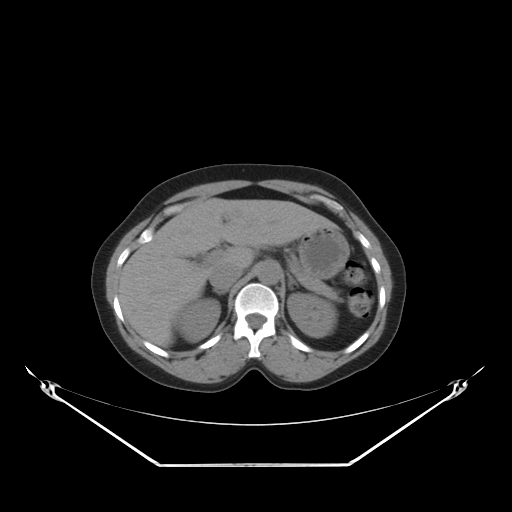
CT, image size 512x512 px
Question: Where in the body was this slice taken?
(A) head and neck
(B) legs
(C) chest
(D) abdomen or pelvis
Answer: (D) abdomen or pelvis
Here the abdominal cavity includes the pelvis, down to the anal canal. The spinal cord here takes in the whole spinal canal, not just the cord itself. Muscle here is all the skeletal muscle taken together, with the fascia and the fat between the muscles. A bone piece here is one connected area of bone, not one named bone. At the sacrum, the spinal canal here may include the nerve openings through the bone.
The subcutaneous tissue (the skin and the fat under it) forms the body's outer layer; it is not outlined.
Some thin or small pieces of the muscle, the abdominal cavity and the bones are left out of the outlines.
Outlined structures:
torso: [[246,162],[303,165],[339,177],[358,195],[397,246],[406,271],[402,316],[388,348],[367,368],[315,390],[279,388],[253,369],[225,390],[199,393],[166,387],[145,377],[121,357],[104,333],[90,287],[93,258],[104,239],[136,203],[160,182],[203,166]]
spinal cord: [[254,313],[257,313],[258,314],[263,316],[265,318],[265,320],[264,321],[264,322],[261,325],[261,326],[256,329],[254,329],[253,328],[252,328],[249,325],[249,324],[246,319],[246,317],[247,316],[247,315],[248,315],[249,314],[253,314]]
abdominal cavity: [[252,185],[321,206],[344,221],[362,246],[378,286],[377,309],[368,328],[342,349],[313,348],[286,323],[276,293],[249,282],[235,295],[229,321],[196,347],[167,351],[140,337],[126,321],[118,296],[120,271],[131,251],[149,242],[154,229],[188,203]]
muscle: [[268,179],[302,182],[328,191],[338,201],[319,193],[311,194],[312,199],[335,212],[343,211],[340,203],[343,204],[376,236],[392,279],[384,329],[378,340],[363,353],[312,381],[283,380],[253,358],[261,356],[259,345],[264,338],[276,338],[275,318],[279,311],[295,335],[286,333],[294,348],[306,353],[314,349],[353,352],[368,338],[368,329],[378,308],[381,310],[386,303],[386,290],[378,285],[379,262],[374,256],[369,259],[364,251],[372,246],[363,233],[358,230],[353,233],[343,219],[321,205],[275,189],[247,185],[190,201],[177,211],[181,205],[178,203],[166,206],[163,212],[171,213],[154,228],[146,227],[136,239],[139,245],[132,250],[125,247],[116,259],[116,266],[121,267],[117,294],[112,298],[113,311],[154,354],[169,358],[170,351],[212,347],[220,340],[220,332],[235,313],[232,338],[245,337],[249,343],[247,356],[251,358],[245,365],[215,383],[192,382],[174,376],[134,351],[123,339],[106,298],[105,280],[110,258],[122,237],[156,213],[161,203],[174,194],[210,182]]
bones 1: [[249,283],[257,283],[271,289],[277,297],[279,307],[274,318],[276,329],[275,338],[272,336],[264,337],[258,345],[260,356],[252,358],[248,356],[250,350],[248,339],[245,336],[238,339],[233,338],[233,326],[237,317],[234,311],[234,300],[240,289]] with a hole at [[254,313],[257,313],[258,314],[263,316],[265,318],[265,320],[264,321],[264,322],[261,325],[261,326],[256,329],[254,329],[253,328],[252,328],[249,325],[249,324],[246,319],[246,317],[247,316],[247,315],[248,315],[249,314],[253,314]]
bones 2: [[313,194],[319,194],[320,195],[322,195],[325,197],[327,197],[332,200],[334,200],[335,201],[338,202],[343,207],[343,210],[342,210],[341,211],[335,211],[333,209],[331,209],[329,207],[326,206],[323,203],[322,203],[321,202],[312,198],[310,196]]
bones 3: [[367,330],[368,330],[369,331],[369,334],[368,335],[367,338],[357,348],[356,348],[353,351],[352,351],[349,353],[344,353],[343,352],[343,349],[344,348],[345,348],[347,346],[348,346],[350,344],[351,344],[356,339],[357,339],[365,331],[366,331]]
bones 4: [[287,333],[289,333],[293,335],[295,337],[299,339],[302,342],[303,342],[305,344],[306,344],[308,346],[312,348],[313,349],[312,351],[310,352],[306,352],[305,351],[303,351],[300,349],[298,349],[294,347],[291,344],[290,342],[290,340],[287,335]]
bones 5: [[143,340],[145,340],[146,341],[147,341],[148,342],[149,342],[150,343],[161,348],[163,350],[165,350],[169,354],[169,357],[165,357],[164,356],[162,356],[161,355],[159,355],[156,353],[154,353],[153,352],[152,352],[143,344],[143,342],[142,341]]
bones 6: [[148,227],[152,227],[153,228],[153,234],[152,235],[152,237],[151,238],[151,239],[149,241],[148,241],[147,242],[145,242],[144,243],[138,243],[137,242],[137,239],[138,238],[138,237],[139,236],[139,235],[146,228],[147,228]]
bones 7: [[219,333],[221,333],[221,336],[220,337],[219,340],[215,344],[214,344],[212,346],[211,346],[210,347],[208,347],[207,348],[205,348],[204,349],[199,349],[197,347],[199,345],[200,345],[202,343],[203,343],[205,341],[206,341],[211,337],[212,337]]
bones 8: [[115,295],[117,295],[118,297],[118,299],[119,300],[119,304],[120,305],[120,307],[121,308],[121,311],[122,312],[122,314],[124,318],[124,321],[123,322],[121,321],[118,318],[113,308],[113,298]]
bones 9: [[381,286],[383,286],[384,287],[384,289],[385,290],[385,303],[384,304],[384,305],[383,306],[383,307],[381,309],[379,309],[379,308],[378,307],[378,294],[379,293],[379,288]]
bones 10: [[358,231],[359,232],[360,232],[362,234],[363,234],[363,235],[369,241],[369,242],[370,243],[370,245],[371,246],[370,247],[370,248],[366,248],[365,247],[364,247],[360,243],[360,242],[355,237],[355,236],[354,235],[354,234],[356,232],[357,232]]
bones 11: [[127,247],[129,247],[131,250],[130,251],[129,254],[127,256],[127,257],[125,259],[125,260],[121,265],[121,266],[118,267],[117,266],[117,259],[118,258],[119,255],[121,253],[121,252],[125,248],[126,248]]
bones 12: [[371,257],[374,257],[376,259],[376,260],[378,262],[378,263],[380,266],[380,272],[377,274],[376,274],[375,273],[375,272],[374,271],[374,270],[373,269],[373,268],[372,267],[372,266],[370,263],[370,258]]